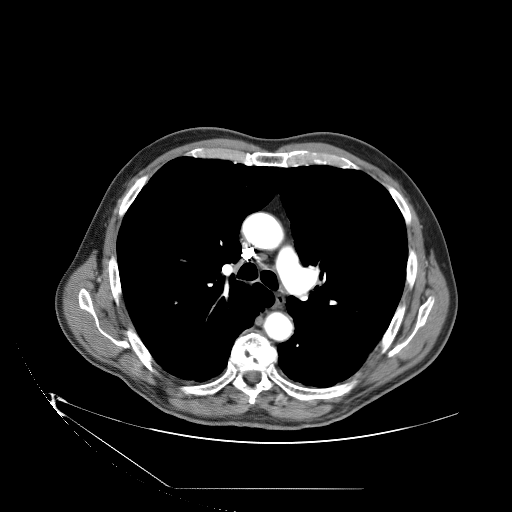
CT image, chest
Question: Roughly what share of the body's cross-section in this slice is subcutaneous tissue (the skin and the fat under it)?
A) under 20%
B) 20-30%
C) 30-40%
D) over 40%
Answer: A) under 20%
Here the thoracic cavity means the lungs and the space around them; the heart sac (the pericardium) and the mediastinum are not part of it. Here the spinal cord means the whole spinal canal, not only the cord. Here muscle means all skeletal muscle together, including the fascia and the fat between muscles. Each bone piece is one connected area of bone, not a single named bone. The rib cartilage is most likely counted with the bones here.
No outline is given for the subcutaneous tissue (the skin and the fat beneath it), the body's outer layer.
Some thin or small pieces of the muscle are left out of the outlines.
{"thoracic_cavity":[[[181,156],[361,170],[387,190],[406,227],[404,286],[353,375],[311,387],[276,366],[295,331],[287,298],[305,300],[310,288],[277,190],[239,228],[235,277],[259,284],[267,304],[234,339],[224,371],[193,384],[154,359],[122,296],[117,238],[149,179]]],"mediastinum":[[[277,191],[309,288],[305,299],[292,294],[286,298],[285,306],[293,320],[294,331],[289,339],[276,347],[263,334],[247,329],[268,304],[264,297],[266,291],[257,282],[249,284],[238,280],[234,264],[241,254],[239,232],[242,222],[248,215],[265,206]]],"spinal_cord":[[[247,371],[257,371],[258,372],[259,372],[260,373],[260,378],[259,379],[259,380],[257,382],[256,382],[255,383],[250,383],[249,382],[248,382],[244,378],[244,374]]],"torso":[[[197,126],[224,127],[263,138],[339,132],[375,146],[397,163],[421,190],[438,220],[457,287],[455,322],[433,362],[343,419],[302,430],[265,430],[200,425],[168,415],[117,376],[87,361],[70,344],[57,321],[54,296],[58,282],[123,165],[152,141]]],"muscle":[[[212,138],[239,139],[266,150],[197,146],[169,160],[151,176],[146,173],[133,182],[118,207],[121,223],[116,254],[107,261],[113,300],[119,307],[122,297],[132,324],[124,331],[126,339],[113,337],[102,328],[90,293],[81,287],[78,306],[92,316],[98,331],[115,345],[130,348],[156,376],[160,376],[159,366],[192,382],[178,387],[186,395],[213,395],[230,384],[247,395],[251,405],[262,391],[275,386],[281,390],[276,401],[343,396],[358,384],[356,377],[347,380],[374,349],[388,358],[396,355],[426,323],[435,302],[433,295],[426,298],[410,333],[389,349],[407,308],[406,302],[400,301],[404,287],[409,291],[413,288],[418,271],[416,251],[408,246],[409,205],[395,187],[380,183],[345,156],[304,148],[274,151],[291,143],[322,142],[355,155],[396,180],[422,225],[424,248],[427,255],[432,250],[445,278],[449,306],[433,346],[419,362],[311,420],[289,421],[263,409],[205,417],[166,405],[144,383],[95,358],[79,343],[63,313],[63,289],[93,250],[100,262],[107,225],[126,183],[165,152]]],"bones":[{"outer":[[245,330],[263,335],[276,348],[275,366],[295,384],[327,388],[352,378],[358,382],[349,392],[327,399],[276,400],[282,390],[275,385],[262,390],[251,404],[248,395],[230,383],[213,394],[186,394],[181,385],[210,382],[225,371],[234,341]],"hole":[[247,371],[257,371],[258,372],[259,372],[260,373],[260,378],[259,379],[259,380],[257,382],[256,382],[255,383],[250,383],[249,382],[248,382],[244,378],[244,374]]},[[197,147],[227,148],[250,153],[256,151],[287,152],[292,150],[304,149],[309,151],[324,152],[345,157],[360,167],[360,169],[341,168],[328,164],[315,163],[288,167],[267,165],[246,165],[240,162],[234,163],[228,159],[203,158],[183,155],[184,153]],[[81,288],[84,288],[89,293],[93,309],[101,328],[113,338],[126,340],[127,336],[125,331],[128,326],[133,326],[137,335],[157,363],[158,365],[155,367],[159,376],[150,371],[130,347],[124,348],[115,344],[99,331],[93,316],[79,306],[78,293]],[[429,296],[434,297],[432,307],[425,323],[417,330],[410,341],[390,357],[388,357],[386,353],[380,354],[379,350],[375,349],[375,347],[389,326],[399,303],[405,302],[406,308],[399,328],[388,347],[390,350],[401,343],[411,333],[416,323],[419,308]],[[146,174],[150,175],[150,177],[148,179],[146,183],[141,188],[141,189],[137,194],[136,197],[124,214],[122,219],[120,219],[119,218],[118,213],[119,212],[119,207],[120,206],[122,198],[129,189],[129,188],[134,183],[134,182],[138,178]],[[112,254],[115,254],[116,255],[116,261],[117,262],[117,268],[118,269],[118,274],[119,275],[119,281],[120,282],[120,286],[121,287],[121,301],[119,306],[117,306],[116,305],[116,303],[114,300],[114,298],[111,291],[110,283],[109,282],[108,261]],[[382,183],[386,183],[395,188],[403,196],[403,197],[405,199],[405,201],[408,205],[408,207],[411,214],[411,221],[410,222],[410,224],[407,227],[405,224],[404,218],[399,208],[397,206],[395,201],[393,199],[392,196],[390,194],[388,190],[382,184]],[[409,248],[412,248],[414,249],[415,253],[416,254],[416,257],[417,258],[417,271],[416,272],[416,276],[415,277],[415,279],[413,283],[413,286],[410,290],[405,287],[405,280],[406,279],[406,269],[407,268],[407,260],[408,259],[408,255],[409,254]]]}